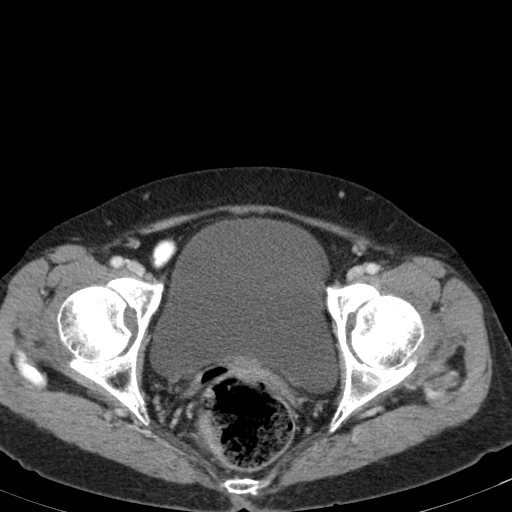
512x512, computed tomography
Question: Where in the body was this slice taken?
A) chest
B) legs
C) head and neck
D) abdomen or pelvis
Answer: D) abdomen or pelvis
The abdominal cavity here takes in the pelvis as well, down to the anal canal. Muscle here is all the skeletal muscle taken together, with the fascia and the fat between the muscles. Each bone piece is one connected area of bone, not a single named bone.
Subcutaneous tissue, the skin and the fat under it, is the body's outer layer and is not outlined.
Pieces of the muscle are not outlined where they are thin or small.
Outlines:
torso: 236 165; 302 168; 355 181; 393 201; 458 250; 487 291; 511 342; 511 445; 487 453; 462 470; 414 488; 352 503; 297 511; 247 511; 244 508; 186 511; 119 500; 42 477; 24 469; 0 450; 0 277; 38 236; 129 188; 168 175
muscle: 228 203; 287 207; 367 231; 386 245; 453 267; 483 304; 492 377; 479 410; 463 424; 399 453; 345 473; 295 483; 262 499; 243 500; 198 484; 149 476; 83 450; 0 404; 0 305; 8 282; 22 266; 51 247; 99 246; 157 219; inner edges: 217 211; 283 214; 351 241; 354 260; 328 284; 366 283; 401 297; 424 325; 407 376; 250 475; 220 471; 151 417; 144 425; 70 367; 57 330; 61 304; 78 289; 120 277; 165 283; 167 265; 156 272; 135 256; 145 236, then 18 346; 25 346; 24 347; 28 353; 29 361; 37 368; 37 369; 46 379; 47 383; 44 387; 40 388; 36 386; 30 381; 21 376; 18 372; 15 366; 14 360; 13 359; 13 356; 14 355; 13 354; 13 352; 15 348; 16 348, then 236 476; 238 477; 250 477; 258 480; 265 480; 269 478; 272 478; 272 480; 267 486; 258 489; 256 495; 253 495; 251 493; 243 493; 242 494; 239 494; 238 493; 228 492; 223 487; 220 487; 219 486; 219 484; 226 479; 232 478, then 452 369; 455 369; 458 371; 458 373; 459 374; 458 375; 459 379; 457 384; 449 387; 446 390; 446 395; 439 398; 436 398; 435 399; 427 399; 426 398; 425 390; 424 389; 423 384; 427 381; 429 381; 433 379; 436 379; 445 375
bones 1: 120 277; 131 277; 146 282; 152 282; 155 279; 164 282; 161 301; 151 316; 143 335; 135 366; 138 388; 150 417; 147 425; 144 425; 107 390; 70 367; 68 363; 71 356; 58 336; 57 314; 61 304; 71 293; 93 284; 104 285
bones 2: 353 283; 366 283; 375 287; 382 294; 390 293; 408 301; 421 317; 424 337; 419 347; 417 364; 413 370; 400 382; 356 408; 334 431; 329 432; 330 419; 343 394; 346 370; 334 332; 336 324; 326 307; 325 287; 328 285; 340 287
bones 3: 18 346; 25 346; 24 347; 28 353; 29 361; 37 368; 37 369; 46 379; 47 383; 44 387; 40 388; 36 386; 30 381; 21 376; 18 372; 15 366; 14 360; 13 359; 13 356; 14 355; 13 354; 13 352; 15 348; 16 348
bones 4: 236 476; 238 477; 250 477; 258 480; 265 480; 269 478; 272 478; 272 480; 267 486; 258 489; 256 495; 253 495; 251 493; 243 493; 242 494; 239 494; 238 493; 228 492; 223 487; 220 487; 219 486; 219 484; 226 479; 232 478
bones 5: 452 369; 455 369; 458 371; 458 373; 459 374; 458 375; 459 379; 457 384; 449 387; 446 390; 446 395; 439 398; 436 398; 435 399; 427 399; 426 398; 425 390; 424 389; 423 384; 427 381; 429 381; 433 379; 436 379; 445 375
abdominal cavity: 217 211; 283 214; 353 243; 354 260; 342 266; 324 287; 338 349; 336 407; 329 421; 271 467; 250 475; 220 471; 201 451; 157 423; 150 416; 143 389; 148 326; 162 301; 169 267; 156 272; 135 256; 135 250; 148 234